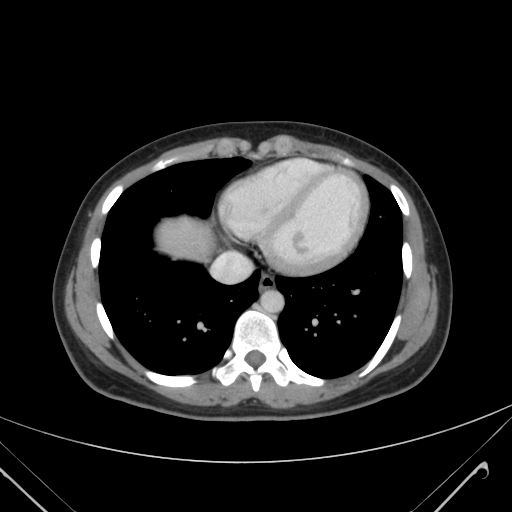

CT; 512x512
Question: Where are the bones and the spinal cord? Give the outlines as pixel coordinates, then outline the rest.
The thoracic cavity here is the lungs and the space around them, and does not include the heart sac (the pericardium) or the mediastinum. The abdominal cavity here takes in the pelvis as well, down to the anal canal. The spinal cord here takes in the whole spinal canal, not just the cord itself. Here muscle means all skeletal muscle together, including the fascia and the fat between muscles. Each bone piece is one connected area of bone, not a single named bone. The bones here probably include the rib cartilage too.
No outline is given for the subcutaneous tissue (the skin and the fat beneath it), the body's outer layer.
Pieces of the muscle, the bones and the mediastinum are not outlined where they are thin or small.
Answer: The bones appear in 12 outlined pieces: piece 1: 256 392; 262 375; 266 372; 280 386; 286 386; 290 381; 321 386; 326 380; 306 373; 291 360; 280 341; 276 323; 269 316; 247 309; 236 320; 231 343; 221 362; 214 366; 210 373; 226 386; 240 373; 245 372; 249 376; 252 389 with a hole at 254 367; 257 367; 259 365; 260 365; 265 360; 265 357; 264 356; 264 355; 262 353; 261 353; 259 351; 258 351; 257 350; 253 350; 252 351; 249 352; 246 355; 246 356; 245 357; 245 360; 249 364; 250 364; 252 366; 253 366; piece 2: 358 377; 361 377; 365 375; 374 368; 379 363; 390 347; 399 327; 399 324; 401 320; 401 314; 400 313; 397 313; 395 315; 393 321; 389 328; 389 330; 385 336; 382 343; 373 356; 363 366; 362 370; 358 373; 357 375; piece 3: 171 387; 181 387; 182 386; 188 386; 189 385; 191 385; 196 382; 196 378; 195 377; 196 376; 195 375; 177 375; 176 376; 169 376; 168 375; 160 374; 145 368; 143 369; 143 372; 144 374; 151 381; 160 385; 170 386; piece 4: 150 172; 153 172; 162 169; 174 163; 177 163; 186 160; 191 160; 198 155; 207 153; 212 150; 213 147; 212 145; 207 144; 202 147; 199 147; 195 149; 191 149; 188 152; 185 153; 179 153; 167 158; 161 159; 157 161; 150 168; piece 5: 407 279; 408 278; 409 278; 409 277; 410 276; 410 274; 411 273; 411 267; 412 266; 412 254; 411 253; 411 248; 409 245; 409 243; 406 240; 403 240; 403 243; 402 244; 402 264; 403 265; 403 276; 405 278; 406 278; piece 6: 111 339; 115 339; 116 338; 116 336; 113 331; 113 329; 111 326; 111 324; 106 315; 106 313; 104 310; 104 308; 102 305; 102 303; 100 301; 96 301; 96 312; 97 313; 98 318; 100 321; 100 323; 102 327; 104 329; 108 336; piece 7: 104 215; 107 214; 108 211; 110 209; 112 205; 115 202; 115 201; 124 190; 124 187; 122 184; 118 184; 116 185; 109 192; 109 193; 105 198; 103 202; 103 204; 102 205; 102 208; 101 209; 101 213; piece 8: 405 216; 408 216; 409 215; 409 207; 408 206; 407 201; 406 200; 404 195; 400 190; 400 189; 396 185; 391 183; 389 185; 389 189; 392 193; 392 194; 394 196; 394 197; 395 198; 395 199; 396 200; 403 215; 404 215; piece 9: 93 268; 97 268; 98 267; 98 264; 99 263; 99 254; 100 253; 100 246; 101 245; 101 239; 99 236; 96 236; 93 239; 93 240; 91 243; 91 246; 90 247; 90 257; 91 258; 91 263; 92 264; 92 266; 93 267; piece 10: 279 152; 289 152; 292 149; 292 140; 291 139; 291 138; 290 137; 288 137; 287 136; 279 136; 278 137; 277 137; 277 138; 276 139; 276 141; 275 142; 275 149; 277 151; 278 151; piece 11: 220 155; 227 155; 228 154; 230 154; 232 153; 234 151; 234 149; 235 147; 233 143; 231 141; 229 140; 224 140; 220 142; 218 144; 218 146; 217 147; 217 152; 218 154; piece 12: 351 167; 355 167; 355 163; 353 161; 353 160; 352 160; 348 156; 343 156; 339 153; 334 153; 333 154; 333 158; 334 159; 334 160; 337 161; 341 164; 343 164; 344 165; 346 165; 347 166; 350 166. The spinal cord is outlined by 254 367; 257 367; 259 365; 260 365; 265 360; 265 357; 264 356; 264 355; 262 353; 261 353; 259 351; 258 351; 257 350; 253 350; 252 351; 249 352; 246 355; 246 356; 245 357; 245 360; 249 364; 250 364; 252 366; 253 366. The muscle is outlined by 273 408; 291 408; 295 407; 299 404; 312 404; 316 402; 324 401; 334 398; 353 389; 355 389; 363 385; 378 374; 387 371; 401 364; 416 352; 432 334; 435 327; 436 319; 437 318; 438 292; 437 291; 436 276; 430 259; 426 239; 423 232; 418 212; 415 207; 413 200; 408 192; 393 177; 381 169; 338 147; 304 141; 287 134; 279 134; 264 140; 268 141; 270 143; 271 147; 270 152; 267 154; 263 154; 257 149; 258 143; 257 144; 253 144; 250 141; 249 141; 252 144; 251 148; 249 150; 242 150; 239 147; 238 143; 242 139; 246 139; 243 139; 239 137; 218 137; 173 148; 162 153; 151 161; 129 171; 120 177; 109 186; 99 199; 98 204; 86 226; 85 231; 74 258; 74 261; 67 280; 67 283; 65 286; 64 309; 67 320; 75 335; 101 362; 111 369; 173 400; 185 404; 191 404; 192 405; 203 405; 204 406; 220 405; 224 407; 227 407; 235 405; 244 399; 249 397; 250 398; 251 397; 255 397; 260 399; 263 402 with holes at 256 392; 266 372; 280 386; 290 381; 321 386; 326 378; 361 366; 361 377; 379 363; 399 327; 401 281; 412 266; 411 248; 402 239; 409 207; 396 185; 388 189; 356 170; 348 156; 194 160; 212 150; 207 144; 157 161; 151 174; 125 190; 116 185; 103 202; 107 218; 90 257; 99 268; 102 300; 96 301; 96 312; 108 336; 117 337; 157 384; 188 386; 209 369; 226 386; 245 372 and at 279 152; 289 152; 292 149; 292 140; 291 139; 291 138; 290 137; 288 137; 287 136; 279 136; 278 137; 277 137; 277 138; 276 139; 276 141; 275 142; 275 149; 277 151; 278 151 and at 220 155; 227 155; 228 154; 230 154; 232 153; 234 151; 234 149; 235 147; 233 143; 231 141; 229 140; 224 140; 220 142; 218 144; 218 146; 217 147; 217 152; 218 154. The thoracic cavity appears in 2 outlined pieces: piece 1: 169 375; 200 373; 220 362; 235 320; 257 298; 259 271; 241 283; 222 284; 201 265; 156 254; 151 230; 166 215; 208 217; 215 192; 250 165; 241 156; 186 161; 154 172; 127 188; 107 215; 99 264; 101 301; 126 349; 146 368; piece 2: 323 378; 347 374; 362 366; 372 356; 388 330; 399 298; 402 280; 402 214; 389 190; 367 174; 364 175; 364 181; 369 192; 371 209; 365 231; 354 252; 333 268; 319 274; 276 277; 277 287; 286 300; 277 322; 281 341; 300 368. The pericardium is outlined by 286 276; 307 276; 322 272; 345 259; 353 252; 357 246; 367 223; 370 202; 368 192; 363 180; 351 168; 333 161; 311 158; 307 156; 278 157; 240 172; 216 192; 214 198; 213 220; 221 237; 232 248; 250 259; 260 269; 267 273. The abdominal cavity is outlined by 202 265; 210 263; 218 252; 219 239; 212 224; 198 216; 194 216; 185 213; 179 214; 175 216; 166 216; 160 218; 154 225; 152 230; 152 240; 153 241; 152 248; 153 250; 159 255; 164 256; 172 261; 187 261; 188 262; 198 263. The torso is outlined by 218 422; 293 421; 349 412; 404 393; 439 360; 449 334; 453 301; 447 247; 419 184; 376 146; 346 132; 303 121; 209 123; 169 133; 133 150; 103 172; 82 199; 59 255; 51 293; 56 329; 74 369; 87 385; 108 398; 180 418. The mediastinum is outlined by 276 322; 285 303; 283 294; 277 289; 275 284; 277 275; 267 274; 260 270; 250 260; 232 249; 218 233; 220 239; 219 252; 210 264; 203 266; 215 279; 226 284; 241 282; 258 269; 260 271; 258 282; 259 295; 248 308; 264 312.